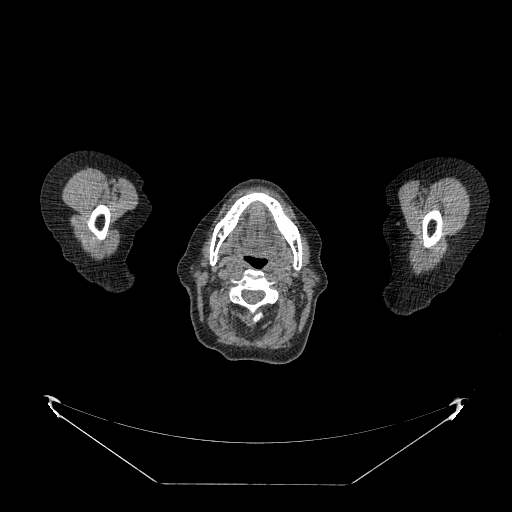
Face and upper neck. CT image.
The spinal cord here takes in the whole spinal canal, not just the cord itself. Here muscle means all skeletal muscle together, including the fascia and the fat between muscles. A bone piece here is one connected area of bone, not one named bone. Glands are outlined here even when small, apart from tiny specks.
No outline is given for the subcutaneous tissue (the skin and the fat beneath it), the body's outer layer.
The parotid glands appear in 2 outlined pieces: piece 1: 307 270; 312 270; 314 272; 315 272; 316 274; 317 274; 319 278; 319 281; 318 281; 317 283; 315 284; 315 285; 312 285; 312 284; 308 279; 307 277; 308 276; 306 275; 306 271; piece 2: 192 266; 193 266; 194 266; 194 267; 195 268; 194 269; 193 270; 192 271; 192 270; 191 269; 190 269; 190 268; 191 267. The bones appear in 4 outlined pieces: piece 1: 253 191; 261 191; 275 198; 297 227; 302 247; 302 266; 298 271; 293 267; 293 252; 291 247; 278 229; 267 206; 259 200; 251 202; 242 211; 235 226; 221 243; 216 263; 213 266; 210 265; 209 247; 216 224; 239 197; piece 2: 249 268; 259 269; 269 281; 276 281; 277 284; 275 286; 279 292; 279 297; 273 304; 268 304; 261 308; 262 316; 256 322; 253 322; 248 318; 244 308; 230 301; 228 296; 229 286; 227 282; 232 278; 235 280; 240 279; 244 271; inner edge: 243 290; 250 290; 251 291; 262 291; 264 293; 264 296; 259 301; 258 301; 257 302; 256 302; 255 303; 248 303; 246 301; 245 301; 244 300; 244 299; 242 297; 242 291; piece 3: 433 209; 438 209; 440 211; 440 212; 441 213; 441 215; 442 216; 442 232; 443 233; 443 234; 440 237; 439 240; 434 245; 433 245; 431 247; 430 247; 429 248; 426 248; 423 246; 423 241; 422 240; 422 218; 429 211; 430 211; piece 4: 99 204; 104 204; 106 205; 109 208; 109 210; 110 211; 110 222; 109 223; 109 227; 108 228; 108 231; 107 232; 106 237; 103 240; 98 240; 95 235; 89 229; 87 225; 87 221; 89 218; 89 216; 91 212; 93 210; 93 209. The left arm is outlined by 444 155; 457 156; 471 162; 485 178; 490 193; 485 228; 446 291; 438 294; 423 309; 407 316; 397 315; 386 308; 381 295; 382 288; 388 282; 391 273; 389 248; 382 232; 383 221; 390 211; 384 190; 392 179; 409 166. The right arm is outlined by 77 150; 99 151; 130 166; 142 177; 142 189; 152 206; 146 221; 134 235; 133 244; 126 259; 126 263; 135 274; 135 283; 123 293; 107 293; 80 275; 74 265; 64 259; 59 244; 47 229; 41 215; 39 196; 44 177; 60 158. The head and neck is outlined by 250 178; 263 178; 280 186; 315 226; 321 238; 320 259; 327 276; 327 286; 317 298; 313 323; 302 353; 287 363; 228 360; 219 352; 204 346; 195 335; 190 318; 189 296; 176 273; 178 261; 200 220; 228 190; 237 183, around a hole outlined by 248 256; 249 256; 250 257; 252 257; 253 258; 263 258; 264 259; 265 259; 265 260; 266 261; 265 262; 265 263; 261 267; 260 267; 259 268; 256 268; 255 267; 254 267; 249 262; 248 262; 246 260; 246 259; 245 258. The spinal cord is outlined by 243 290; 250 290; 251 291; 262 291; 264 293; 264 296; 259 301; 258 301; 257 302; 256 302; 255 303; 248 303; 246 301; 245 301; 244 300; 244 299; 242 297; 242 291. The muscle appears in 3 outlined pieces: piece 1: 252 185; 263 185; 274 189; 290 205; 308 236; 313 258; 318 268; 320 275; 320 283; 314 292; 313 297; 311 300; 309 315; 307 318; 306 323; 295 343; 291 347; 287 349; 280 349; 279 350; 244 349; 241 347; 232 347; 217 342; 206 331; 200 322; 196 303; 196 297; 197 296; 196 286; 194 279; 189 273; 189 266; 196 259; 196 255; 204 234; 210 222; 215 217; 222 205; 237 189, around holes outlined by 253 191; 261 191; 275 198; 297 227; 302 247; 302 266; 298 271; 293 267; 293 252; 291 247; 278 229; 267 206; 259 200; 251 202; 242 211; 235 226; 221 243; 216 263; 213 266; 210 265; 209 247; 216 224; 239 197 and by 248 256; 265 259; 265 263; 259 269; 269 281; 277 282; 275 286; 279 292; 279 297; 273 304; 261 308; 262 316; 256 322; 248 318; 244 308; 230 301; 228 296; 227 282; 232 278; 240 279; 246 269; 254 267; 246 260; 245 258 and by 307 270; 312 270; 314 272; 315 272; 316 274; 317 274; 319 278; 319 281; 318 281; 317 283; 315 284; 315 285; 312 285; 312 284; 308 279; 307 277; 308 276; 306 275; 306 271; piece 2: 442 173; 456 174; 464 181; 464 183; 471 195; 471 208; 466 224; 463 227; 458 238; 449 249; 441 263; 428 274; 418 278; 411 273; 407 260; 407 252; 404 240; 403 218; 397 197; 397 192; 399 187; 403 183; 412 178; 430 176, around a hole outlined by 433 209; 438 209; 440 211; 440 212; 441 213; 441 215; 442 216; 442 232; 443 233; 443 234; 440 237; 439 240; 434 245; 433 245; 431 247; 430 247; 429 248; 426 248; 423 246; 423 241; 422 240; 422 218; 429 211; 430 211; piece 3: 85 166; 97 166; 113 173; 127 176; 129 177; 140 191; 138 205; 130 215; 123 228; 121 245; 119 250; 111 259; 108 259; 102 262; 97 262; 91 259; 79 248; 66 229; 65 224; 62 218; 61 190; 65 182; 71 174, around a hole outlined by 99 204; 104 204; 106 205; 109 208; 109 210; 110 211; 110 222; 109 223; 109 227; 108 228; 108 231; 107 232; 106 237; 103 240; 98 240; 95 235; 89 229; 87 225; 87 221; 89 218; 89 216; 91 212; 93 210; 93 209.